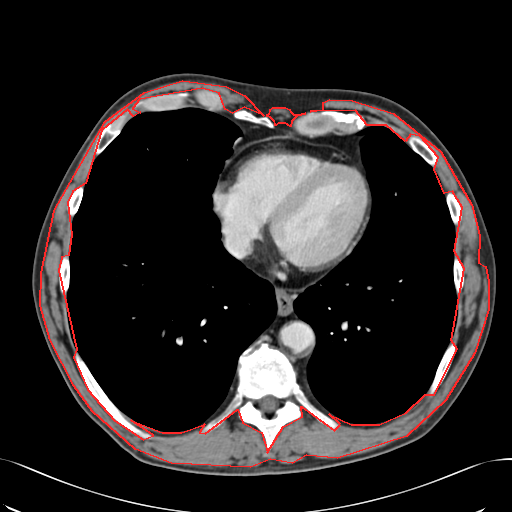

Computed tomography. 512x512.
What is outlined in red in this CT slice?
red: muscle.
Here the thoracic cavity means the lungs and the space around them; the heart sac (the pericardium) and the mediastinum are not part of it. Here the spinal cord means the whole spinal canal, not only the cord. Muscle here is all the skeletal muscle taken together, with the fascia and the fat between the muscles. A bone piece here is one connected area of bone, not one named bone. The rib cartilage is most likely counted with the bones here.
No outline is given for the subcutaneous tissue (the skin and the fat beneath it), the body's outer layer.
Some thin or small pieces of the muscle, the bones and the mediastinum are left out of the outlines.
muscle 1: 182 80; 226 86; 244 95; 263 115; 244 107; 232 113; 225 109; 219 93; 202 88; 139 99; 132 108; 140 112; 133 116; 127 109; 101 130; 85 183; 72 191; 67 202; 71 234; 68 255; 61 257; 58 270; 76 349; 73 357; 87 389; 114 420; 143 439; 153 435; 131 420; 162 432; 181 432; 204 424; 199 432; 205 433; 237 409; 242 422; 261 432; 267 452; 283 426; 302 416; 301 406; 334 430; 340 424; 329 414; 351 424; 379 424; 406 412; 425 394; 434 394; 457 349; 451 340; 464 268; 454 251; 462 207; 452 191; 444 193; 434 169; 438 157; 420 136; 410 134; 405 141; 386 125; 367 125; 355 110; 310 111; 323 109; 323 102; 329 99; 352 100; 393 113; 440 151; 471 204; 479 235; 478 262; 485 266; 488 281; 488 309; 474 353; 445 400; 406 436; 337 458; 306 455; 292 463; 270 459; 250 467; 171 463; 135 449; 92 411; 74 386; 50 340; 40 305; 41 273; 54 210; 105 121; 144 92
muscle 2: 273 107; 285 107; 289 109; 290 111; 293 114; 301 114; 302 113; 305 113; 303 114; 301 114; 295 117; 291 121; 290 126; 285 123; 278 123; 275 125; 275 123; 274 121; 270 117; 266 115; 267 115; 269 113; 270 111; 270 109
pericardium: 269 136; 285 136; 307 142; 335 146; 338 150; 361 164; 371 197; 367 223; 361 237; 350 253; 310 285; 298 288; 282 286; 257 273; 246 266; 242 259; 230 254; 224 246; 220 221; 213 209; 213 193; 224 167; 244 146
bones 1: 258 341; 278 349; 287 357; 307 397; 333 418; 339 424; 338 427; 334 429; 320 422; 301 405; 301 416; 282 426; 269 451; 262 432; 253 424; 242 421; 237 408; 217 427; 200 432; 233 397; 238 381; 236 370; 239 356 with a hole at 267 395; 271 395; 272 396; 273 396; 274 397; 275 397; 276 398; 277 398; 280 401; 280 404; 279 405; 279 406; 273 412; 264 412; 262 410; 261 410; 259 408; 259 407; 258 406; 258 401; 260 399; 261 399; 263 397; 264 397
bones 2: 323 110; 336 110; 342 112; 349 112; 350 111; 358 112; 364 117; 366 121; 366 125; 363 128; 357 131; 349 133; 334 133; 330 132; 315 136; 309 136; 300 134; 296 132; 292 128; 291 126; 292 121; 295 118; 308 112; 319 112
bones 3: 202 89; 215 92; 222 97; 224 101; 224 110; 222 111; 216 112; 208 110; 196 102; 190 102; 188 106; 182 108; 168 110; 141 111; 139 108; 133 108; 134 104; 137 101; 145 99; 150 96; 185 91; 193 93
bones 4: 76 351; 77 351; 87 366; 89 371; 109 399; 119 410; 129 418; 133 424; 143 431; 150 433; 153 437; 152 438; 143 438; 139 435; 130 431; 114 419; 102 407; 88 389; 78 370; 78 368; 76 365; 75 358; 74 357; 74 353
bones 5: 127 110; 130 110; 130 113; 129 115; 130 116; 132 116; 125 123; 125 124; 121 129; 118 135; 115 138; 114 138; 99 154; 97 155; 94 152; 94 147; 95 146; 95 144; 102 130; 108 123; 111 122; 120 114; 122 113; 124 113
bones 6: 452 341; 455 342; 455 344; 456 345; 456 349; 455 350; 455 353; 454 354; 453 359; 451 362; 451 364; 444 378; 442 380; 441 383; 437 387; 433 394; 429 396; 427 395; 426 393; 434 378; 436 370; 443 356; 443 354; 450 342
bones 7: 410 135; 416 135; 420 137; 423 140; 424 140; 433 150; 433 151; 435 153; 437 157; 437 162; 436 164; 433 167; 431 165; 430 165; 419 154; 418 154; 415 151; 414 151; 408 145; 408 144; 406 142; 406 140
bones 8: 237 108; 244 108; 257 116; 263 116; 264 115; 267 116; 273 121; 274 123; 274 127; 271 128; 262 124; 259 124; 258 123; 255 123; 254 122; 251 122; 250 121; 247 121; 246 120; 237 119; 235 117; 234 117; 233 115; 233 111
bones 9: 65 255; 68 256; 68 258; 69 259; 69 286; 68 287; 68 289; 67 290; 67 292; 66 293; 66 296; 64 296; 61 293; 61 291; 60 290; 60 286; 59 285; 59 270; 60 269; 60 264; 61 263; 61 260; 62 259; 62 257
bones 10: 448 192; 452 192; 456 196; 459 202; 459 204; 461 207; 461 219; 459 223; 456 225; 454 225; 452 221; 452 219; 450 215; 450 212; 449 211; 449 209; 448 208; 448 206; 446 202; 446 194
bones 11: 80 185; 83 186; 83 193; 82 194; 81 201; 78 207; 78 209; 76 213; 73 216; 73 217; 72 217; 70 216; 68 213; 68 211; 67 210; 67 206; 68 205; 68 202; 69 201; 69 199; 70 198; 71 194; 73 192; 73 191
bones 12: 454 257; 457 257; 460 260; 461 262; 461 264; 462 265; 462 267; 463 268; 463 285; 461 288; 461 290; 460 292; 458 294; 456 293; 456 291; 455 290; 455 287; 454 286; 454 280; 453 279; 453 265; 454 264
torso: 182 72; 277 87; 344 88; 379 94; 421 119; 457 162; 492 244; 495 304; 473 372; 444 416; 421 438; 374 457; 309 471; 252 476; 191 473; 136 459; 73 397; 48 349; 32 296; 32 265; 43 220; 68 166; 107 108; 140 83
spinal cord: 267 395; 271 395; 272 396; 273 396; 274 397; 275 397; 276 398; 277 398; 280 401; 280 404; 279 405; 279 406; 273 412; 264 412; 262 410; 261 410; 259 408; 259 407; 258 406; 258 401; 260 399; 261 399; 263 397; 264 397
thoracic cavity 1: 189 106; 215 112; 241 131; 218 175; 212 193; 212 210; 219 221; 223 247; 271 284; 276 311; 271 322; 238 356; 236 385; 224 408; 193 428; 162 431; 134 421; 119 409; 78 352; 68 322; 69 248; 73 218; 97 156; 136 114
thoracic cavity 2: 370 125; 383 125; 397 133; 439 178; 454 226; 452 279; 457 315; 451 339; 423 396; 391 419; 357 424; 323 411; 298 382; 306 377; 316 335; 297 315; 293 304; 351 253; 366 229; 372 197; 362 161; 360 142; 364 134; 360 131
mediastinum 1: 251 270; 285 288; 298 289; 309 286; 294 299; 292 304; 296 315; 312 328; 315 335; 315 346; 306 366; 305 377; 302 375; 297 379; 297 372; 291 361; 278 348; 260 340; 255 344; 251 344; 272 322; 277 311; 272 284
mediastinum 2: 225 110; 231 112; 237 120; 271 129; 278 124; 285 124; 296 133; 309 137; 359 131; 363 134; 359 142; 363 167; 359 161; 335 145; 285 135; 269 135; 250 141; 224 166; 233 152; 234 143; 242 135; 242 131; 237 125; 217 113
mediastinum 3: 328 272; 329 272; 324 277; 323 277; 319 281; 319 282; 317 282; 316 283; 315 283; 314 284; 313 284; 312 285; 311 285; 318 278; 319 278; 320 277; 321 277; 322 276; 323 276; 325 274; 326 274